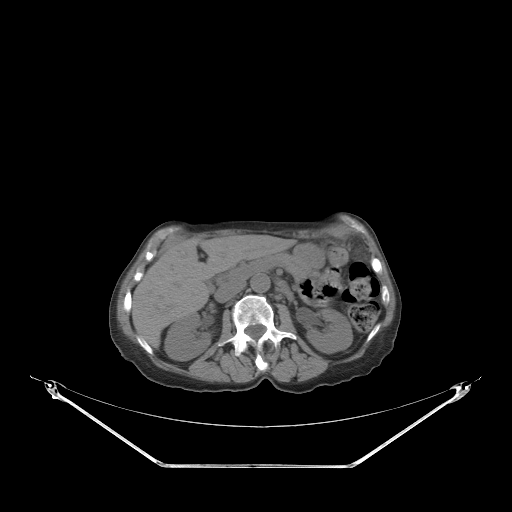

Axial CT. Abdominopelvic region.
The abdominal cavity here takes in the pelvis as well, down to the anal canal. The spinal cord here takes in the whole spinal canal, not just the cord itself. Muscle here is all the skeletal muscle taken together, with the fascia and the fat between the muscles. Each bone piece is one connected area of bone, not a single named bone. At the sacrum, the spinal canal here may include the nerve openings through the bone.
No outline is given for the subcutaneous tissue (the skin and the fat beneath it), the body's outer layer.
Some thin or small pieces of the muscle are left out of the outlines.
{"bones":[{"outer":[[248,294],[264,296],[274,310],[274,325],[279,330],[296,335],[295,339],[284,337],[278,348],[269,340],[263,344],[260,353],[268,364],[265,370],[257,368],[256,349],[253,346],[249,345],[237,356],[231,342],[217,344],[236,333],[231,310],[236,301]],"hole":[[256,324],[260,324],[261,325],[263,325],[265,327],[265,331],[262,334],[262,335],[261,336],[260,336],[257,339],[255,339],[254,338],[253,338],[252,337],[251,337],[248,334],[247,334],[245,332],[245,329],[248,326],[249,326],[250,325],[255,325]]},[[127,289],[130,289],[130,290],[131,291],[131,308],[130,309],[130,311],[129,312],[127,312],[126,311],[125,311],[124,310],[124,309],[123,308],[123,301],[124,300],[124,297],[125,296],[125,294],[126,293],[126,291],[127,290]],[[137,335],[139,335],[140,336],[141,336],[147,342],[147,343],[151,347],[151,348],[153,350],[153,353],[152,354],[149,354],[138,343],[138,342],[137,341],[137,340],[136,339],[136,336]],[[348,217],[349,218],[351,218],[353,220],[354,220],[358,224],[361,225],[364,228],[364,229],[365,230],[365,234],[363,234],[362,233],[357,231],[355,229],[352,228],[350,225],[350,223],[347,220],[344,220],[343,219],[343,218],[347,218]],[[383,284],[384,285],[385,285],[387,287],[387,289],[388,290],[388,291],[389,292],[389,302],[386,305],[384,305],[384,304],[383,303],[383,302],[382,301],[382,296],[381,295],[381,286]],[[373,257],[376,257],[380,261],[380,262],[381,263],[381,267],[382,268],[382,269],[381,270],[381,272],[380,273],[379,273],[378,274],[377,273],[376,273],[374,271],[374,270],[372,268],[372,266],[371,265],[371,258],[372,258]],[[379,322],[380,322],[380,327],[379,328],[379,329],[378,330],[378,331],[375,334],[375,335],[368,342],[366,342],[365,341],[365,340],[366,339],[366,338],[367,337],[367,336],[369,334],[369,333],[373,329],[373,328],[376,325],[376,324]],[[137,269],[139,269],[141,271],[142,271],[143,272],[143,275],[141,277],[141,278],[139,280],[139,281],[137,281],[136,282],[133,279],[133,276],[134,275],[134,274],[135,273],[135,272],[136,271],[136,270]],[[147,250],[150,250],[151,251],[152,251],[152,252],[154,254],[155,254],[155,255],[153,257],[153,258],[149,262],[148,262],[145,259],[145,253],[146,252],[146,251]]],"abdominal_cavity":[[[232,234],[346,237],[361,243],[381,284],[382,319],[355,351],[332,359],[314,351],[297,333],[286,305],[271,304],[264,295],[248,293],[236,300],[230,310],[223,311],[219,337],[201,355],[184,365],[162,359],[132,325],[132,289],[148,264],[180,240]]],"spinal_cord":[[[256,324],[260,324],[261,325],[263,325],[265,327],[265,331],[262,334],[262,335],[261,336],[260,336],[257,339],[255,339],[254,338],[253,338],[252,337],[251,337],[248,334],[247,334],[245,332],[245,329],[248,326],[249,326],[250,325],[255,325]]],"muscle":[{"outer":[[339,215],[346,215],[352,218],[354,218],[359,221],[366,228],[370,235],[373,238],[376,244],[376,246],[382,257],[382,259],[384,261],[395,295],[395,310],[394,311],[394,316],[391,323],[383,331],[382,334],[378,337],[371,345],[364,355],[360,358],[358,358],[347,363],[343,363],[342,364],[338,364],[332,366],[328,368],[318,376],[298,383],[280,382],[274,378],[269,373],[262,373],[253,380],[245,383],[208,382],[207,381],[196,379],[192,377],[189,377],[185,375],[166,371],[157,367],[151,363],[138,348],[127,338],[120,329],[118,325],[118,321],[116,316],[117,298],[118,297],[119,290],[121,287],[122,282],[128,271],[137,259],[139,254],[149,239],[156,231],[170,225],[183,225],[194,232],[209,231],[210,230],[216,230],[217,229],[228,229],[229,228],[236,228],[237,229],[240,228],[241,229],[250,229],[251,230],[262,230],[265,229],[270,231],[279,231],[280,230],[289,230],[290,229],[307,229],[308,228],[318,228],[324,225],[332,223],[336,220],[337,217]],"holes":[[[232,234],[271,234],[293,238],[346,237],[361,243],[371,258],[376,257],[380,261],[382,269],[377,276],[389,292],[389,302],[384,306],[378,331],[349,355],[327,358],[314,351],[297,333],[287,306],[274,303],[271,305],[274,325],[279,330],[295,334],[296,338],[284,337],[278,348],[269,340],[263,344],[260,353],[268,364],[265,370],[257,368],[256,349],[253,346],[249,345],[237,356],[231,342],[220,346],[217,344],[236,333],[229,309],[222,313],[218,339],[190,363],[175,364],[155,353],[149,354],[138,343],[130,313],[123,308],[127,289],[131,291],[136,284],[133,279],[136,270],[143,272],[150,263],[145,259],[146,251],[155,254],[153,261],[188,237]],[[348,217],[349,218],[351,218],[353,220],[354,220],[358,224],[361,225],[364,228],[364,229],[365,230],[365,234],[363,234],[362,233],[357,231],[355,229],[352,228],[350,225],[350,223],[347,220],[344,220],[343,219],[343,218],[347,218]]]}],"torso":[[[336,210],[354,213],[373,228],[401,295],[401,319],[394,347],[367,375],[335,385],[319,386],[304,393],[278,390],[267,379],[245,391],[196,392],[153,382],[121,357],[109,334],[110,297],[120,273],[139,244],[158,224],[176,218],[206,221],[305,220]]]}